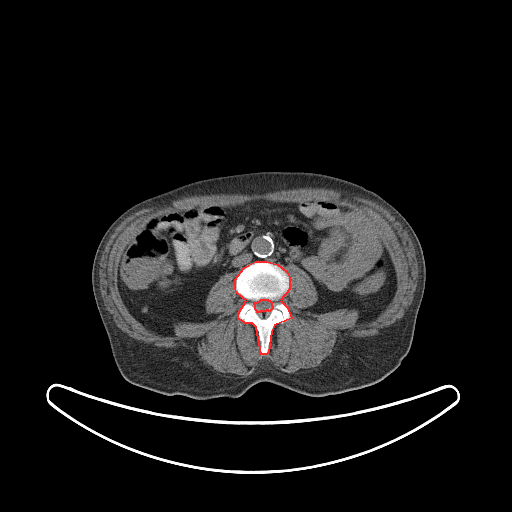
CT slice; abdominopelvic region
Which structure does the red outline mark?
red: bones.
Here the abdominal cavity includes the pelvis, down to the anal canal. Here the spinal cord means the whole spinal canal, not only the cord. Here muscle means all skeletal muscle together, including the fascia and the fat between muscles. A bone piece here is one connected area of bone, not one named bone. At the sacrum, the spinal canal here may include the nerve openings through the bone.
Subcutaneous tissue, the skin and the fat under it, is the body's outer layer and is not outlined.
Outlined structures:
bones: [[255,261],[266,261],[277,264],[286,271],[289,277],[289,289],[280,300],[287,307],[291,318],[274,325],[271,331],[268,352],[266,354],[261,354],[256,327],[252,323],[245,323],[238,318],[238,313],[246,300],[237,293],[235,289],[235,279],[244,267]], around a hole outlined by [[261,299],[267,299],[268,300],[269,300],[271,302],[271,305],[272,306],[272,308],[269,311],[268,310],[266,310],[265,311],[260,311],[259,312],[257,312],[257,311],[255,309],[255,305],[254,304],[254,303],[255,302],[257,302],[258,301],[259,301]]
spinal cord: [[261,299],[267,299],[268,300],[269,300],[271,302],[271,305],[272,306],[272,308],[269,311],[268,310],[266,310],[265,311],[260,311],[259,312],[257,312],[257,311],[255,309],[255,305],[254,304],[254,303],[255,302],[257,302],[258,301],[259,301]]
muscle: [[299,188],[330,189],[340,192],[342,198],[346,198],[349,200],[352,200],[356,197],[371,200],[389,211],[395,219],[401,224],[402,227],[407,232],[413,244],[418,267],[418,273],[417,274],[418,275],[417,276],[417,284],[413,294],[412,301],[400,319],[389,326],[381,328],[379,330],[379,333],[376,335],[362,338],[347,337],[335,346],[331,356],[328,356],[322,362],[320,366],[315,368],[300,369],[296,372],[288,373],[275,367],[271,362],[267,360],[263,360],[259,363],[259,365],[255,368],[254,371],[247,376],[241,376],[232,373],[218,373],[212,370],[210,367],[204,365],[195,352],[192,352],[181,346],[176,348],[157,347],[152,343],[146,343],[141,340],[137,340],[132,338],[125,332],[122,331],[116,325],[113,319],[113,316],[106,309],[101,294],[100,276],[99,275],[100,264],[99,263],[105,246],[111,235],[115,229],[127,217],[142,209],[146,208],[157,209],[168,206],[172,201],[184,197],[198,196],[199,195],[211,195],[212,194],[246,194],[252,195]]; inner edge: [[260,199],[368,212],[396,278],[374,319],[357,322],[353,308],[312,311],[318,292],[294,264],[280,300],[291,318],[274,325],[266,354],[256,327],[238,318],[246,300],[234,272],[208,291],[207,321],[180,321],[163,335],[134,317],[117,271],[145,218]]
abdominal cavity: [[260,199],[325,200],[368,212],[396,278],[393,297],[374,319],[357,322],[353,308],[312,311],[318,292],[310,276],[297,265],[285,269],[266,260],[211,286],[204,306],[214,316],[207,321],[180,321],[163,335],[134,317],[117,271],[145,218]]
torso: [[270,170],[308,171],[351,181],[380,195],[408,221],[422,247],[426,277],[412,343],[400,365],[377,383],[320,397],[262,381],[234,398],[200,400],[184,395],[165,395],[128,382],[115,364],[92,289],[94,255],[108,227],[132,205],[180,185],[209,177]]